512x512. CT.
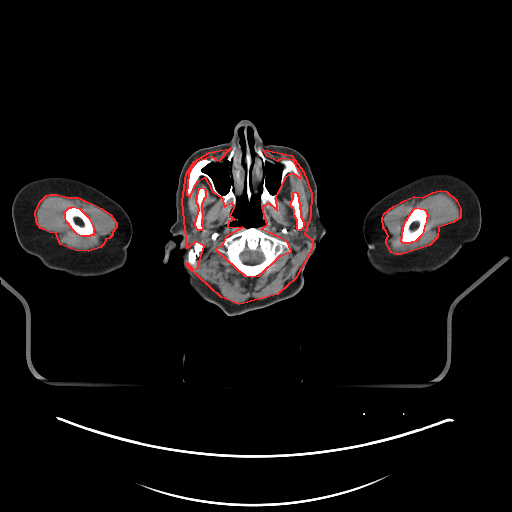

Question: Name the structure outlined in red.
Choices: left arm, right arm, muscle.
Answer: red: muscle.
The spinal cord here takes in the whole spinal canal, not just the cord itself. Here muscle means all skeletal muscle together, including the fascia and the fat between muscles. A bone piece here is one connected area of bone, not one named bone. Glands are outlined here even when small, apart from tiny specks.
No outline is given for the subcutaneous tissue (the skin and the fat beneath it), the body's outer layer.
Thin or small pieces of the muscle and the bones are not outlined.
The muscle appears in 3 outlined pieces: piece 1: (230, 148) (218, 161) (211, 156) (194, 163) (188, 173) (186, 194) (190, 196) (197, 181) (204, 177) (212, 191) (221, 197) (224, 206) (231, 202) (233, 207) (229, 216) (234, 219) (228, 221) (227, 226) (242, 227) (225, 237) (221, 246) (215, 249) (245, 276) (259, 275) (280, 255) (291, 251) (287, 241) (261, 229) (267, 224) (262, 207) (268, 202) (277, 210) (276, 197) (286, 176) (292, 172) (300, 178) (301, 174) (293, 160) (281, 158) (277, 161) (267, 156) (263, 149) (291, 155) (303, 171) (311, 193) (310, 216) (304, 233) (312, 240) (312, 247) (295, 278) (277, 294) (239, 304) (221, 297) (188, 267) (186, 262) (193, 269) (197, 268) (204, 246) (195, 241) (187, 248) (182, 201) (186, 173) (194, 161) (209, 152) with holes at (201, 187) (204, 188) (205, 191) (205, 197) (203, 199) (201, 204) (201, 210) (202, 211) (201, 225) (202, 226) (202, 229) (201, 230) (198, 230) (195, 226) (195, 222) (199, 210) (198, 205) (196, 203) (196, 199) (197, 198) (198, 190) (199, 188) and at (294, 191) (297, 193) (297, 195) (298, 196) (298, 201) (299, 202) (299, 208) (300, 209) (300, 216) (303, 221) (303, 226) (302, 228) (299, 230) (297, 229) (297, 220) (294, 215) (294, 210) (293, 208) (290, 205) (290, 203) (293, 198) (293, 192); piece 2: (49, 194) (57, 194) (67, 197) (78, 197) (101, 208) (110, 214) (116, 222) (116, 227) (112, 232) (112, 235) (109, 238) (105, 239) (103, 244) (100, 247) (88, 251) (75, 250) (60, 244) (56, 233) (49, 232) (40, 228) (36, 222) (35, 211) (41, 200) (46, 195) with a hole at (72, 206) (79, 208) (88, 217) (93, 227) (93, 235) (90, 235) (89, 236) (81, 236) (77, 234) (71, 228) (71, 227) (69, 225) (69, 224) (67, 222) (65, 218) (65, 211) (69, 207) (71, 207); piece 3: (440, 190) (446, 191) (456, 200) (460, 208) (460, 217) (453, 222) (438, 227) (437, 237) (429, 245) (401, 254) (395, 254) (391, 252) (386, 243) (386, 239) (388, 236) (386, 231) (383, 228) (382, 217) (384, 213) (393, 206) (404, 200) (414, 196) (422, 197) (432, 192); inner edge: (416, 207) (424, 209) (426, 211) (426, 213) (427, 214) (427, 217) (426, 218) (426, 221) (424, 225) (423, 231) (421, 235) (415, 241) (411, 242) (410, 243) (403, 243) (401, 241) (401, 238) (402, 237) (402, 231) (403, 230) (403, 226) (404, 225) (404, 223) (413, 209). The spinal cord is outlined by (246, 249) (247, 249) (250, 251) (255, 251) (256, 252) (259, 252) (260, 253) (261, 253) (262, 254) (262, 256) (263, 257) (262, 260) (257, 263) (254, 263) (253, 264) (250, 264) (249, 263) (245, 263) (243, 261) (243, 260) (241, 257) (241, 253) (242, 252) (243, 252). The bones appear in 9 outlined pieces: piece 1: (251, 227) (260, 228) (264, 233) (270, 236) (273, 236) (280, 240) (285, 241) (290, 246) (289, 252) (285, 251) (280, 254) (269, 267) (253, 277) (245, 275) (232, 266) (230, 264) (227, 256) (216, 249) (222, 246) (221, 242) (225, 238) (238, 232) (242, 228) (250, 228), around a hole outlined by (246, 249) (247, 249) (250, 251) (255, 251) (256, 252) (259, 252) (260, 253) (261, 253) (262, 254) (262, 256) (263, 257) (262, 260) (257, 263) (254, 263) (253, 264) (250, 264) (249, 263) (245, 263) (243, 261) (243, 260) (241, 257) (241, 253) (242, 252) (243, 252); piece 2: (239, 141) (245, 176) (244, 191) (235, 205) (230, 200) (224, 205) (222, 197) (213, 191) (204, 176) (196, 181) (188, 195) (192, 167) (198, 160) (211, 157) (217, 161) (206, 165) (203, 171) (221, 195) (231, 185) (235, 192) (232, 163) (225, 159) (219, 161); piece 3: (255, 130) (255, 140) (267, 157) (277, 162) (293, 161) (300, 174) (297, 177) (291, 171) (285, 176) (283, 185) (275, 197) (277, 209) (268, 201) (262, 206) (260, 193) (264, 188) (264, 176) (268, 191) (271, 194) (275, 194) (278, 191) (280, 187) (282, 170) (279, 163) (265, 163) (258, 191) (253, 191); piece 4: (416, 207) (424, 209) (426, 211) (426, 213) (427, 214) (427, 217) (426, 218) (426, 221) (424, 225) (423, 231) (421, 235) (415, 241) (411, 242) (410, 243) (403, 243) (401, 241) (401, 238) (402, 237) (402, 231) (403, 230) (403, 226) (404, 225) (404, 223) (413, 209); piece 5: (72, 206) (79, 208) (88, 217) (93, 227) (93, 235) (90, 235) (89, 236) (81, 236) (77, 234) (71, 228) (71, 227) (69, 225) (69, 224) (67, 222) (65, 218) (65, 211) (69, 207) (71, 207); piece 6: (195, 242) (199, 242) (200, 243) (201, 243) (203, 246) (203, 251) (200, 254) (200, 256) (197, 258) (197, 264) (196, 265) (196, 268) (195, 269) (194, 268) (193, 268) (186, 261) (186, 250) (187, 249) (188, 249) (190, 247) (191, 247) (194, 244) (194, 243); piece 7: (244, 128) (247, 128) (246, 129) (247, 142) (250, 149) (250, 153) (252, 158) (250, 164) (250, 168) (249, 169) (249, 186) (250, 187) (250, 191) (251, 193) (253, 194) (249, 199) (248, 199) (247, 197) (247, 164) (245, 160) (245, 155) (246, 154) (246, 142) (245, 141); piece 8: (201, 187) (204, 188) (205, 191) (205, 197) (203, 199) (201, 204) (201, 210) (202, 211) (201, 225) (202, 226) (202, 229) (201, 230) (198, 230) (195, 226) (195, 222) (199, 210) (198, 205) (196, 203) (196, 199) (197, 198) (198, 190) (199, 188); piece 9: (294, 191) (297, 193) (297, 195) (298, 196) (298, 201) (299, 202) (299, 208) (300, 209) (300, 216) (303, 221) (303, 226) (302, 228) (299, 230) (297, 229) (297, 220) (294, 215) (294, 210) (293, 208) (290, 205) (290, 203) (293, 198) (293, 192). The parotid glands are outlined by (310, 219) (313, 220) (313, 221) (316, 226) (316, 228) (317, 229) (317, 232) (316, 233) (316, 237) (313, 240) (313, 241) (313, 240) (312, 239) (310, 239) (308, 237) (307, 237) (307, 236) (305, 233) (305, 228) (306, 227) (306, 223) (308, 221) (308, 220) (309, 220). The head and neck appears in 2 outlined pieces: piece 1: (242, 119) (255, 125) (266, 144) (291, 147) (305, 157) (317, 186) (317, 206) (325, 226) (325, 239) (316, 244) (303, 271) (303, 286) (294, 296) (229, 316) (191, 287) (182, 265) (182, 237) (172, 235) (170, 227) (176, 220) (175, 194) (184, 162) (200, 148) (229, 141); inner edges: (240, 127) (243, 128) (245, 142) (248, 200) (259, 191) (266, 163) (281, 166) (279, 187) (275, 193) (269, 191) (266, 177) (263, 176) (259, 200) (266, 224) (259, 227) (228, 226) (228, 222) (235, 219) (230, 211) (245, 191) (246, 174) (242, 165) (243, 153) (238, 133), then (225, 160) (231, 163) (231, 173) (232, 174) (232, 182) (233, 183) (234, 192) (233, 186) (231, 184) (228, 189) (228, 191) (225, 194) (221, 194) (218, 191) (211, 176) (204, 171) (204, 168) (209, 164) (216, 163) (217, 162) (219, 163) (220, 162) (223, 162), then (248, 127) (250, 127) (253, 131) (253, 139) (254, 140) (253, 147) (252, 148) (254, 154) (253, 156) (253, 165) (250, 170) (250, 183) (253, 193) (251, 191) (251, 187) (250, 186) (250, 169) (253, 158) (251, 153) (251, 149) (248, 142) (248, 136) (247, 135) (247, 129); piece 2: (170, 239) (171, 240) (172, 240) (175, 243) (176, 243) (176, 246) (172, 250) (172, 252) (169, 255) (169, 256) (168, 257) (168, 258) (167, 259) (167, 260) (165, 262) (164, 262) (163, 261) (164, 260) (164, 258) (165, 257) (165, 245) (166, 244) (166, 243). The right arm is outlined by (53, 176) (72, 178) (91, 185) (116, 201) (125, 210) (132, 224) (132, 237) (127, 248) (126, 262) (121, 268) (98, 276) (74, 276) (63, 271) (46, 267) (37, 257) (27, 253) (22, 249) (17, 241) (11, 216) (11, 206) (13, 199) (16, 193) (25, 184) (37, 179). The left arm is outlined by (437, 172) (455, 174) (467, 181) (475, 190) (481, 208) (480, 231) (473, 241) (464, 244) (456, 255) (443, 266) (428, 273) (411, 274) (396, 280) (386, 279) (371, 267) (366, 257) (366, 251) (368, 247) (364, 239) (362, 229) (365, 215) (377, 201) (398, 187) (421, 176).